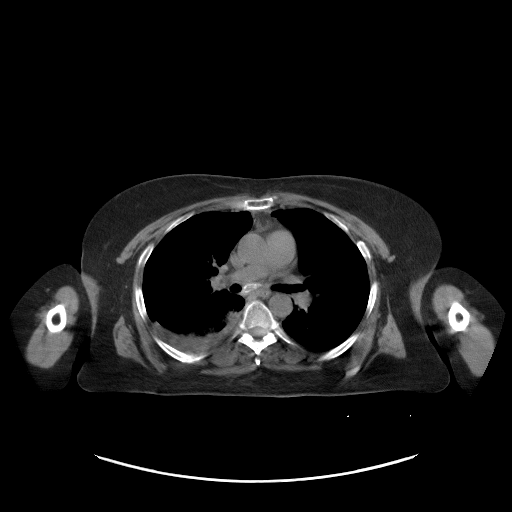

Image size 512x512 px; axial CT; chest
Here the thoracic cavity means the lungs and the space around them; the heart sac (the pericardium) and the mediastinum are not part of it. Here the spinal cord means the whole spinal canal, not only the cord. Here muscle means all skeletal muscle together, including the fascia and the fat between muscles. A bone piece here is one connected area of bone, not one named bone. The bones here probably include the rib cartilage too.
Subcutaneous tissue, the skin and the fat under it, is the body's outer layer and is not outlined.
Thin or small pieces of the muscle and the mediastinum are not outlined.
Outlined structures:
bones 1: (253, 300) (261, 301) (270, 310) (273, 317) (280, 323) (283, 330) (294, 342) (294, 344) (288, 344) (279, 339) (268, 345) (258, 356) (260, 361) (259, 365) (255, 363) (256, 355) (251, 348) (245, 344) (238, 343) (231, 338) (236, 326) (243, 318) (243, 308) (245, 303); inner edge: (255, 327) (259, 327) (260, 328) (261, 328) (263, 330) (263, 332) (264, 333) (263, 334) (263, 335) (260, 338) (255, 338) (250, 333) (250, 330) (251, 329) (252, 329) (253, 328) (254, 328)
bones 2: (273, 195) (275, 195) (277, 197) (277, 200) (275, 202) (275, 204) (269, 208) (262, 209) (261, 210) (234, 210) (233, 209) (231, 209) (226, 204) (228, 201) (235, 200) (236, 199) (242, 200) (243, 199) (248, 199) (249, 198) (268, 197)
bones 3: (454, 300) (459, 302) (469, 312) (470, 314) (470, 321) (467, 326) (467, 329) (466, 331) (457, 331) (455, 332) (454, 330) (449, 325) (449, 323) (448, 322) (448, 317) (447, 316) (447, 313) (448, 312) (448, 310) (450, 307) (450, 305) (451, 303)
bones 4: (154, 336) (156, 336) (160, 340) (162, 340) (172, 347) (182, 352) (185, 352) (186, 353) (199, 353) (200, 352) (205, 352) (207, 355) (204, 358) (192, 363) (186, 363) (185, 362) (182, 362) (179, 360) (177, 360) (171, 357) (163, 350) (162, 350) (155, 342) (153, 338)
bones 5: (58, 304) (62, 304) (65, 309) (65, 311) (66, 312) (66, 323) (63, 329) (62, 329) (59, 332) (56, 332) (55, 333) (49, 333) (47, 331) (47, 329) (45, 325) (45, 316) (46, 315) (46, 313) (49, 309) (52, 308) (54, 306)
bones 6: (354, 332) (359, 332) (360, 333) (360, 335) (359, 337) (346, 351) (345, 351) (340, 355) (334, 358) (329, 359) (328, 360) (319, 360) (318, 359) (318, 357) (320, 354) (330, 349) (332, 349) (336, 346) (339, 345) (341, 343) (342, 343) (347, 338) (348, 338)
bones 7: (135, 285) (139, 285) (141, 286) (142, 295) (143, 296) (143, 301) (144, 302) (144, 304) (145, 305) (145, 309) (147, 313) (147, 317) (145, 320) (143, 320) (142, 319) (139, 313) (139, 311) (136, 304) (135, 295) (134, 294) (134, 287)
bones 8: (373, 281) (376, 281) (377, 282) (377, 292) (376, 293) (375, 301) (374, 302) (373, 307) (371, 310) (371, 312) (369, 314) (369, 315) (367, 316) (365, 314) (365, 311) (366, 310) (366, 306) (367, 305) (367, 302) (368, 301) (368, 298) (369, 297) (370, 285)
bones 9: (151, 242) (152, 242) (154, 244) (154, 247) (153, 248) (153, 249) (152, 250) (149, 257) (147, 259) (147, 260) (143, 267) (138, 267) (137, 266) (137, 263) (138, 262) (138, 259) (139, 258) (139, 256) (140, 255) (141, 252) (143, 250) (143, 249) (149, 243) (150, 243)
bones 10: (191, 211) (195, 211) (196, 212) (196, 213) (195, 214) (192, 215) (184, 221) (179, 223) (177, 225) (176, 225) (174, 227) (173, 227) (165, 234) (164, 234) (164, 231) (165, 230) (165, 229) (172, 221) (173, 221) (176, 218) (177, 218) (184, 214) (186, 214)
bones 11: (358, 240) (361, 240) (363, 241) (365, 243) (365, 244) (367, 246) (369, 250) (369, 252) (370, 253) (370, 255) (371, 257) (370, 258) (370, 260) (368, 264) (366, 263) (364, 258) (362, 256) (359, 249) (357, 247) (355, 243) (356, 241)
bones 12: (323, 211) (326, 211) (327, 212) (329, 212) (337, 216) (338, 218) (344, 224) (345, 224) (348, 228) (348, 230) (349, 231) (348, 234) (346, 233) (339, 226) (338, 226) (335, 223) (334, 223) (331, 220) (330, 220) (327, 217) (326, 217) (322, 213)
bones 13: (357, 365) (358, 365) (359, 366) (360, 366) (360, 368) (359, 369) (359, 370) (354, 375) (352, 375) (351, 376) (347, 376) (346, 375) (346, 371) (347, 371) (348, 370) (349, 370) (351, 368) (352, 368) (353, 367) (354, 367) (355, 366) (356, 366)
spinal cord: (255, 327) (259, 327) (260, 328) (261, 328) (263, 330) (263, 332) (264, 333) (263, 334) (263, 335) (260, 338) (255, 338) (250, 333) (250, 330) (251, 329) (252, 329) (253, 328) (254, 328)
pericardium: (268, 224) (279, 224) (291, 232) (296, 244) (296, 263) (293, 269) (287, 275) (284, 275) (281, 277) (276, 277) (272, 279) (256, 279) (255, 278) (250, 278) (246, 276) (236, 265) (236, 251) (239, 243) (244, 236) (250, 232) (252, 232) (254, 230) (258, 228) (261, 228)
muscle 1: (270, 191) (323, 200) (357, 216) (382, 238) (395, 258) (391, 262) (376, 258) (377, 272) (381, 275) (379, 310) (383, 319) (390, 310) (401, 333) (406, 356) (399, 358) (381, 353) (360, 370) (358, 364) (346, 370) (345, 375) (350, 377) (346, 378) (322, 370) (291, 371) (260, 366) (238, 375) (189, 370) (158, 374) (119, 355) (112, 335) (114, 324) (121, 315) (127, 321) (132, 319) (135, 258) (123, 263) (116, 261) (126, 244) (143, 227) (169, 212) (198, 201) (243, 193) (255, 197) (228, 200) (225, 204) (230, 209) (197, 213) (191, 210) (176, 217) (155, 245) (151, 241) (140, 252) (136, 266) (143, 268) (142, 283) (134, 285) (133, 294) (141, 319) (147, 318) (156, 335) (152, 337) (154, 342) (171, 358) (192, 364) (204, 359) (206, 352) (230, 336) (253, 351) (257, 366) (261, 352) (279, 340) (319, 354) (319, 361) (334, 359) (353, 345) (361, 335) (355, 330) (364, 314) (368, 317) (372, 312) (378, 292) (378, 282) (369, 280) (367, 265) (372, 256) (368, 246) (361, 239) (354, 242) (348, 235) (349, 228) (337, 215) (305, 206) (275, 205) (278, 200) (275, 194) (261, 196)
muscle 2: (442, 283) (452, 284) (464, 292) (470, 303) (484, 315) (484, 317) (495, 334) (496, 342) (493, 348) (493, 351) (480, 377) (474, 376) (468, 369) (466, 364) (461, 358) (454, 342) (447, 335) (443, 328) (441, 321) (432, 309) (431, 305) (432, 292) (438, 284); inner edge: (454, 300) (459, 302) (469, 312) (470, 314) (470, 321) (467, 326) (467, 329) (466, 331) (457, 331) (455, 332) (454, 330) (449, 325) (449, 323) (448, 322) (448, 317) (447, 316) (447, 313) (448, 312) (448, 310) (450, 307) (450, 305) (451, 303)
muscle 3: (64, 285) (69, 285) (73, 287) (79, 295) (79, 307) (77, 311) (77, 318) (74, 329) (73, 340) (68, 348) (62, 354) (53, 366) (49, 368) (41, 368) (31, 364) (27, 360) (25, 354) (25, 348) (33, 331) (36, 314) (40, 309) (40, 307) (47, 298) (58, 288), around a hole outlined by (58, 304) (62, 304) (65, 309) (65, 311) (66, 312) (66, 323) (63, 329) (62, 329) (59, 332) (56, 332) (55, 333) (49, 333) (47, 331) (47, 329) (45, 325) (45, 316) (46, 315) (46, 313) (49, 309) (52, 308) (54, 306)
torso: (181, 173) (251, 178) (345, 175) (393, 187) (417, 200) (435, 219) (442, 238) (442, 253) (426, 289) (422, 317) (448, 369) (448, 385) (433, 393) (396, 390) (295, 397) (158, 395) (81, 388) (76, 376) (93, 324) (89, 289) (79, 270) (86, 226) (118, 192) (148, 179)
mediastinum 1: (242, 236) (235, 251) (235, 265) (250, 279) (272, 280) (287, 276) (296, 266) (297, 249) (297, 268) (302, 281) (283, 287) (284, 290) (295, 293) (297, 304) (281, 322) (261, 300) (253, 299) (245, 302) (244, 298) (236, 292) (239, 287) (230, 284) (226, 274) (226, 262)
mediastinum 2: (274, 206) (293, 207) (290, 208) (278, 208) (274, 210) (271, 213) (271, 215) (273, 217) (276, 218) (284, 226) (281, 225) (279, 223) (268, 223) (261, 227) (258, 227) (244, 235) (251, 228) (253, 223) (253, 219) (249, 211) (261, 211) (262, 210) (269, 209)
left arm: (438, 265) (439, 266) (455, 266) (468, 272) (477, 279) (496, 298) (504, 310) (503, 320) (493, 351) (485, 366) (483, 373) (470, 393) (467, 393) (458, 385) (446, 353) (437, 343) (431, 329) (429, 327) (427, 327) (426, 329) (425, 326) (423, 311) (427, 289) (433, 273)
thoracic cavity 1: (213, 210) (248, 211) (252, 219) (250, 228) (233, 246) (225, 262) (225, 274) (229, 284) (238, 287) (235, 292) (244, 300) (242, 318) (235, 326) (233, 332) (215, 347) (207, 351) (186, 352) (160, 339) (149, 324) (142, 289) (144, 267) (155, 246) (164, 235) (192, 216)
thoracic cavity 2: (294, 207) (305, 207) (321, 213) (347, 234) (366, 264) (370, 284) (364, 313) (354, 331) (339, 344) (320, 353) (310, 352) (295, 342) (281, 325) (298, 304) (296, 293) (284, 287) (301, 283) (303, 276) (298, 268) (296, 240) (292, 232) (272, 213) (278, 209)
right arm: (65, 262) (73, 265) (79, 271) (80, 275) (86, 282) (92, 307) (92, 324) (90, 327) (89, 336) (83, 340) (77, 352) (72, 365) (70, 378) (67, 384) (57, 391) (42, 393) (35, 384) (22, 359) (10, 326) (9, 315) (15, 304) (25, 291) (43, 273) (50, 268)